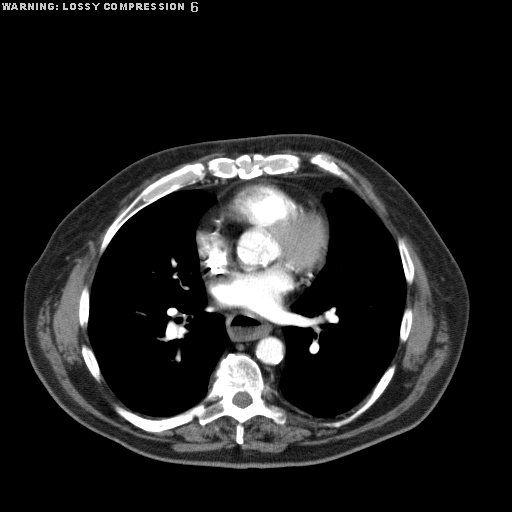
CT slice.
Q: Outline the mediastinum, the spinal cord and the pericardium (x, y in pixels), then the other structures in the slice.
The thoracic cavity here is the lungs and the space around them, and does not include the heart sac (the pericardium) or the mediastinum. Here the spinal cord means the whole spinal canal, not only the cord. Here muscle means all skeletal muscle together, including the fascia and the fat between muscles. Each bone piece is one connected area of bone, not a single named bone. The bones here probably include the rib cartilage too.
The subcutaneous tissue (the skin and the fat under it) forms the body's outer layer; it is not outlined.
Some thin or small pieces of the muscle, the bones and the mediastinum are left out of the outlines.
A: Outlines (x, y in pixels):
mediastinum 1: [[304,290],[291,304],[290,306],[290,309],[293,313],[281,329],[285,340],[285,363],[278,383],[274,381],[267,383],[258,363],[244,352],[230,351],[221,357],[230,338],[226,331],[225,317],[208,307],[207,293],[216,308],[241,310],[250,316],[275,322],[296,296]]
mediastinum 2: [[306,171],[323,171],[326,172],[343,181],[349,188],[341,186],[337,187],[333,191],[326,192],[322,196],[322,203],[323,205],[318,197],[303,189],[300,189],[294,183],[281,179],[258,177],[263,175],[271,176],[272,175],[297,173],[298,172],[305,172]]
mediastinum 3: [[236,177],[241,180],[247,180],[237,181],[226,185],[219,192],[218,203],[203,217],[199,223],[199,225],[198,225],[201,216],[208,208],[216,202],[217,197],[215,194],[210,193],[203,189],[182,189],[185,187],[203,182],[206,178],[235,178]]
spinal cord: [[239,392],[246,392],[250,396],[250,398],[251,399],[251,401],[250,402],[250,403],[249,404],[248,404],[246,406],[245,406],[244,407],[240,407],[239,406],[238,406],[236,404],[235,404],[233,402],[233,398],[234,397],[234,396],[237,393],[238,393]]
pericardium: [[256,178],[289,182],[300,190],[315,196],[319,199],[326,212],[329,225],[325,263],[311,283],[295,296],[288,309],[280,314],[275,321],[250,315],[241,309],[216,307],[208,295],[201,275],[196,243],[196,230],[204,217],[219,203],[220,192],[230,184]]
bones 1: [[230,352],[244,353],[257,363],[272,390],[272,400],[285,410],[284,424],[255,415],[243,423],[243,442],[238,444],[238,422],[228,415],[204,425],[195,417],[149,432],[115,411],[114,404],[118,404],[145,418],[160,419],[193,407],[206,396],[213,371]] with a hole at [[239,392],[246,392],[250,396],[250,398],[251,399],[251,401],[250,402],[250,403],[249,404],[248,404],[246,406],[245,406],[244,407],[240,407],[239,406],[238,406],[236,404],[235,404],[233,402],[233,398],[234,397],[234,396],[237,393],[238,393]]
bones 2: [[245,153],[251,156],[254,153],[297,155],[301,158],[301,165],[296,172],[263,174],[250,179],[241,179],[237,176],[208,176],[203,181],[170,192],[132,215],[117,230],[100,255],[100,246],[109,226],[149,184],[186,163],[205,163],[217,157],[235,158]]
bones 3: [[393,363],[394,363],[396,366],[394,373],[389,383],[379,397],[365,411],[350,422],[346,423],[339,427],[329,427],[323,425],[323,423],[325,422],[332,422],[333,421],[343,419],[353,413],[360,407],[364,403],[373,388],[379,381],[385,371],[388,367]]
bones 4: [[318,153],[324,153],[325,154],[327,154],[329,156],[329,157],[341,169],[342,169],[351,177],[351,178],[353,180],[355,187],[352,185],[350,185],[346,183],[340,178],[326,171],[324,171],[319,167],[311,164],[309,162],[309,159],[312,156]]
bones 5: [[399,237],[402,238],[406,244],[406,246],[408,249],[409,254],[413,262],[413,266],[414,267],[414,275],[413,276],[413,280],[411,284],[408,284],[406,282],[405,274],[403,269],[403,265],[402,264],[402,261],[401,260],[399,249],[397,245],[397,239]]
bones 6: [[82,344],[85,344],[89,347],[90,347],[94,354],[94,356],[98,364],[98,366],[99,367],[99,369],[100,370],[101,375],[103,378],[99,382],[98,382],[90,373],[84,361],[83,356],[81,353],[81,346]]
bones 7: [[84,286],[87,286],[89,290],[89,312],[88,313],[88,320],[87,321],[87,327],[85,328],[83,328],[81,327],[80,325],[80,323],[79,322],[79,300],[80,299],[80,296],[81,295],[81,292],[82,291],[82,289]]
bones 8: [[407,306],[409,306],[412,310],[412,320],[411,321],[411,326],[410,327],[410,330],[409,331],[409,333],[406,340],[404,342],[400,342],[399,340],[399,336],[400,335],[400,327],[401,326],[401,322],[402,321],[403,313],[404,312],[405,308]]
thoracic cavity 1: [[181,189],[203,190],[216,197],[215,202],[198,220],[195,243],[199,272],[206,291],[207,307],[224,317],[229,342],[211,373],[210,387],[199,402],[171,416],[149,418],[127,408],[102,375],[91,347],[87,328],[90,291],[100,258],[118,230],[141,209]]
thoracic cavity 2: [[341,187],[350,189],[360,196],[381,220],[395,241],[406,283],[405,306],[394,355],[369,394],[346,413],[334,417],[317,417],[278,397],[268,384],[279,383],[286,363],[286,340],[282,329],[294,313],[291,306],[326,263],[330,225],[323,196]]
muscle 1: [[282,149],[321,151],[329,153],[371,183],[389,219],[412,242],[429,282],[434,318],[438,323],[441,319],[447,322],[451,342],[449,355],[424,392],[395,418],[350,437],[319,444],[290,443],[275,453],[243,449],[239,445],[244,442],[244,423],[255,416],[278,425],[286,423],[286,410],[273,400],[273,392],[317,418],[346,414],[365,399],[345,417],[323,422],[329,428],[350,423],[384,392],[396,370],[396,364],[391,362],[399,342],[404,343],[411,330],[413,310],[406,306],[406,295],[407,284],[413,283],[415,275],[404,239],[399,236],[396,242],[364,196],[348,186],[356,187],[352,177],[327,153],[324,152],[318,152],[312,155],[308,159],[311,165],[322,170],[298,171],[302,165],[299,155],[262,153]]
muscle 2: [[183,163],[144,187],[106,229],[90,290],[84,285],[78,300],[78,322],[87,329],[90,344],[82,343],[80,353],[92,377],[98,383],[103,379],[123,404],[114,403],[114,411],[146,432],[159,433],[195,418],[201,426],[224,416],[233,418],[237,422],[237,445],[215,450],[176,451],[168,442],[139,437],[87,411],[58,381],[36,334],[44,300],[49,296],[53,302],[59,299],[75,260],[110,223],[124,196],[155,173]]
muscle 3: [[218,151],[221,151],[226,153],[238,153],[240,154],[235,157],[231,157],[230,156],[217,156],[216,157],[210,158],[205,162],[202,161],[197,161],[191,163],[188,162],[190,162],[195,159],[197,159],[210,153],[217,152]]
torso: [[275,133],[324,135],[370,156],[415,199],[457,262],[469,293],[469,320],[458,364],[435,407],[415,427],[348,455],[313,465],[274,468],[241,469],[156,460],[76,421],[56,403],[36,375],[23,337],[25,280],[54,229],[90,193],[146,155],[199,141]]